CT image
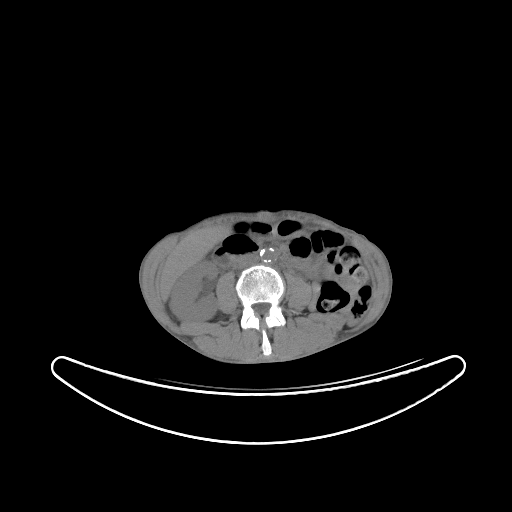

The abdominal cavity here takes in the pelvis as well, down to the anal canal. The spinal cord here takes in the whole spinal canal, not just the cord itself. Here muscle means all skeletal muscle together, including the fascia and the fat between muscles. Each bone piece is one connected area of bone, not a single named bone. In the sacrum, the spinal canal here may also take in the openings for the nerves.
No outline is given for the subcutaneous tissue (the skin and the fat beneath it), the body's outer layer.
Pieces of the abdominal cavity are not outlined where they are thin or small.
{"muscle":[[[262,212],[311,215],[357,234],[372,245],[381,254],[389,279],[385,301],[375,317],[355,330],[338,333],[331,343],[314,351],[290,358],[272,353],[267,330],[286,324],[280,303],[286,291],[286,271],[299,274],[311,284],[312,298],[307,306],[310,313],[341,314],[349,322],[357,322],[368,311],[373,283],[361,250],[339,231],[290,217],[239,218],[210,225],[180,241],[162,264],[159,293],[179,327],[184,321],[212,321],[219,308],[215,293],[218,278],[225,272],[234,272],[237,274],[234,289],[242,307],[239,324],[243,330],[252,328],[260,332],[260,356],[240,360],[215,357],[201,351],[189,336],[164,324],[151,307],[142,281],[143,267],[152,250],[167,237],[207,220]]],"torso":[[[260,208],[270,210],[295,208],[315,212],[364,234],[381,248],[390,264],[393,287],[389,304],[375,325],[347,341],[300,359],[276,363],[227,364],[200,355],[158,324],[146,307],[138,284],[138,269],[146,251],[166,233],[182,229],[206,216],[230,210]]],"bones":[{"outer":[[257,264],[272,267],[281,274],[285,281],[285,291],[279,303],[282,307],[285,324],[273,326],[266,330],[271,346],[271,353],[267,355],[263,354],[261,348],[261,332],[252,327],[245,329],[241,327],[240,319],[243,307],[235,289],[240,273],[244,269]],"hole":[[257,303],[269,303],[270,304],[270,306],[269,307],[269,308],[268,309],[268,311],[267,312],[267,313],[266,314],[265,314],[264,315],[257,315],[255,313],[255,312],[254,311],[254,309],[252,307],[252,306],[254,304],[256,304]]}],"abdominal_cavity":[[[285,218],[339,232],[357,246],[372,283],[363,317],[349,321],[341,313],[310,312],[311,283],[291,269],[283,276],[257,263],[238,276],[228,270],[217,278],[218,308],[212,320],[184,320],[179,326],[164,305],[159,284],[163,264],[178,244],[218,224]]],"spinal_cord":[[[257,303],[269,303],[270,304],[270,306],[269,307],[269,308],[268,309],[268,311],[267,312],[267,313],[266,314],[265,314],[264,315],[257,315],[255,313],[255,312],[254,311],[254,309],[252,307],[252,306],[254,304],[256,304]]]}